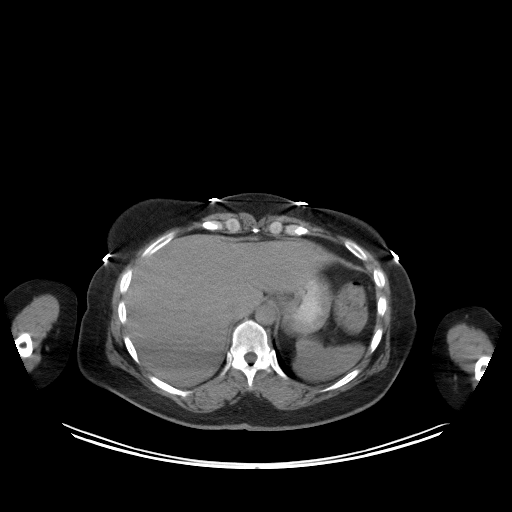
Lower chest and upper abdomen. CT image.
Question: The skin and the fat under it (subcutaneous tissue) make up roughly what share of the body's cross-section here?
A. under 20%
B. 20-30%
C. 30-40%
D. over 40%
Answer: C. 30-40%
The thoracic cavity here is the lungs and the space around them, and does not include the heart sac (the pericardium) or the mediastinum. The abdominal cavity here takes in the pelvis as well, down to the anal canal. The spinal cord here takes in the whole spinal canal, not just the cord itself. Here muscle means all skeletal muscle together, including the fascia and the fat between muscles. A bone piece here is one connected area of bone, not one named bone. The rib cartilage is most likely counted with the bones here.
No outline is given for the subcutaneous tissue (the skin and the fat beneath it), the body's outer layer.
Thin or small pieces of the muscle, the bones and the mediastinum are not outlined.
The mediastinum appears in 2 outlined pieces: piece 1: (262, 302) (269, 302) (270, 304) (272, 304) (275, 307) (275, 309) (277, 312) (277, 317) (275, 320) (275, 325) (272, 332) (273, 335) (273, 345) (272, 346) (269, 345) (269, 336) (268, 333) (262, 325) (253, 319) (250, 318) (244, 319) (257, 306) (261, 304); piece 2: (310, 235) (318, 236) (325, 240) (332, 242) (334, 244) (337, 244) (340, 246) (343, 246) (355, 257) (361, 261) (365, 262) (368, 265) (368, 267) (367, 268) (364, 268) (360, 265) (354, 264) (348, 260) (339, 256) (322, 244) (318, 243) (315, 240) (311, 240) (309, 238). The right arm is outlined by (38, 277) (50, 277) (65, 282) (73, 289) (77, 297) (76, 325) (68, 359) (61, 373) (48, 385) (42, 388) (37, 387) (23, 364) (22, 358) (15, 343) (15, 339) (12, 337) (12, 331) (10, 328) (10, 323) (4, 302) (4, 296) (6, 293) (16, 285) (23, 281). The spinal cord is outlined by (249, 352) (252, 352) (253, 353) (254, 353) (256, 355) (256, 358) (255, 359) (255, 360) (252, 363) (249, 363) (244, 358) (244, 356) (245, 355) (245, 354) (246, 354) (247, 353) (248, 353). The abdominal cavity is outlined by (196, 230) (307, 235) (339, 257) (367, 269) (376, 288) (377, 316) (367, 351) (359, 363) (329, 384) (312, 385) (298, 380) (274, 344) (276, 307) (262, 301) (233, 328) (224, 363) (213, 377) (182, 389) (151, 374) (127, 333) (125, 294) (133, 272) (144, 258) (174, 238). The left arm is outlined by (466, 305) (478, 305) (485, 307) (500, 321) (501, 326) (495, 342) (495, 347) (493, 349) (492, 355) (490, 356) (483, 375) (478, 381) (478, 384) (475, 389) (469, 394) (459, 409) (455, 410) (442, 397) (434, 381) (431, 368) (431, 347) (437, 325) (442, 317) (449, 311). The muscle appears in 3 outlined pieces: piece 1: (216, 212) (247, 212) (257, 220) (268, 214) (287, 215) (353, 240) (346, 238) (340, 245) (318, 235) (308, 235) (310, 230) (306, 226) (277, 219) (267, 225) (269, 233) (260, 232) (254, 225) (251, 231) (239, 232) (242, 226) (236, 217) (207, 219) (200, 224) (203, 229) (176, 237) (174, 229) (159, 236) (142, 251) (143, 259) (135, 269) (129, 267) (122, 273) (118, 289) (125, 295) (116, 309) (120, 323) (125, 324) (124, 346) (134, 362) (141, 362) (149, 372) (147, 377) (154, 385) (184, 398) (221, 369) (222, 377) (231, 368) (243, 373) (249, 391) (259, 370) (273, 371) (285, 380) (289, 377) (312, 386) (328, 385) (319, 390) (321, 393) (351, 381) (361, 371) (356, 367) (368, 350) (371, 354) (379, 345) (383, 329) (376, 327) (377, 317) (382, 317) (387, 309) (386, 297) (377, 293) (377, 288) (385, 286) (384, 272) (378, 267) (372, 273) (368, 269) (364, 261) (369, 257) (358, 244) (373, 254) (389, 281) (391, 321) (387, 365) (335, 396) (298, 409) (278, 409) (265, 399) (247, 394) (233, 404) (197, 413) (150, 390) (111, 364) (105, 343) (112, 294) (123, 268) (153, 238); piece 2: (46, 293) (55, 296) (59, 302) (60, 311) (59, 327) (52, 346) (41, 363) (36, 365) (30, 372) (28, 372) (23, 364) (22, 359) (28, 358) (33, 352) (34, 347) (31, 334) (28, 331) (22, 331) (15, 338) (13, 338) (10, 323) (12, 319) (35, 296); piece 3: (460, 322) (465, 322) (468, 325) (471, 325) (481, 329) (486, 333) (490, 341) (495, 346) (493, 349) (492, 355) (482, 354) (474, 362) (473, 377) (478, 382) (478, 384) (475, 387) (475, 389) (472, 389) (467, 382) (454, 369) (446, 345) (446, 334) (448, 329) (453, 325). The bones appear in 15 outlined pieces: piece 1: (246, 319) (253, 320) (264, 328) (268, 336) (268, 345) (275, 350) (278, 364) (288, 376) (287, 379) (273, 370) (268, 372) (259, 369) (253, 377) (252, 387) (249, 390) (247, 378) (242, 371) (231, 367) (222, 376) (220, 375) (226, 353) (231, 345) (232, 332) (236, 325); inner edge: (249, 352) (252, 352) (253, 353) (254, 353) (256, 355) (256, 358) (255, 359) (255, 360) (252, 363) (249, 363) (244, 358) (244, 356) (245, 355) (245, 354) (246, 354) (247, 353) (248, 353); piece 2: (276, 220) (281, 222) (283, 224) (296, 224) (297, 225) (301, 225) (304, 227) (306, 227) (309, 230) (309, 233) (305, 235) (288, 235) (282, 232) (277, 235) (273, 235) (271, 233) (270, 233) (270, 232) (268, 230) (268, 225) (271, 222) (273, 221) (275, 221); piece 3: (228, 218) (236, 218) (240, 223) (241, 228) (238, 232) (236, 232) (235, 233) (231, 233) (230, 232) (228, 232) (228, 231) (225, 228) (221, 230) (209, 230) (208, 229) (204, 229) (201, 225) (201, 224) (204, 221) (206, 221) (207, 220) (219, 220) (220, 221) (224, 221); piece 4: (22, 332) (28, 332) (30, 334) (30, 336) (32, 340) (32, 346) (33, 347) (33, 349) (32, 350) (32, 352) (31, 354) (28, 357) (23, 357) (22, 358) (17, 349) (17, 347) (15, 343) (15, 339) (19, 335) (19, 334) (20, 334); piece 5: (172, 230) (174, 230) (176, 231) (176, 234) (175, 236) (169, 242) (168, 242) (165, 245) (164, 245) (150, 255) (146, 257) (142, 257) (141, 256) (141, 254) (143, 252) (143, 251) (151, 243) (152, 243) (155, 240) (156, 240) (162, 235); piece 6: (150, 374) (151, 375) (155, 376) (160, 380) (178, 389) (181, 389) (182, 390) (190, 390) (192, 391) (192, 392) (190, 394) (184, 397) (180, 396) (179, 395) (177, 395) (176, 394) (170, 393) (158, 387) (155, 384) (154, 384) (149, 379) (148, 377) (148, 376); piece 7: (355, 368) (358, 368) (360, 369) (360, 371) (355, 377) (354, 377) (351, 380) (350, 380) (345, 384) (337, 388) (335, 388) (331, 390) (328, 390) (324, 392) (321, 392) (320, 391) (321, 389) (337, 381) (340, 378) (341, 378) (347, 373) (348, 373) (350, 371) (351, 371); piece 8: (482, 355) (488, 355) (489, 356) (490, 356) (490, 358) (489, 359) (489, 361) (487, 364) (487, 366) (485, 368) (485, 371) (484, 372) (483, 375) (482, 375) (481, 376) (480, 379) (478, 381) (474, 377) (474, 366) (475, 365) (475, 362) (478, 359) (478, 358); piece 9: (346, 239) (348, 239) (349, 240) (351, 240) (352, 241) (353, 241) (355, 243) (356, 243) (366, 253) (366, 254) (367, 255) (367, 256) (368, 257) (368, 258) (366, 260) (361, 260) (359, 258) (358, 258) (356, 256) (355, 256) (350, 251) (349, 251) (344, 246) (344, 241); piece 10: (129, 268) (132, 269) (132, 273) (131, 274) (131, 279) (129, 282) (129, 285) (127, 288) (127, 290) (125, 292) (125, 293) (122, 294) (120, 292) (120, 290) (119, 289) (119, 286) (120, 285) (120, 281) (121, 280) (121, 277) (122, 276) (123, 273) (127, 269) (128, 269); piece 11: (378, 327) (380, 327) (382, 329) (382, 336) (381, 337) (381, 339) (378, 345) (376, 347) (374, 351) (371, 353) (369, 352) (369, 350) (368, 348) (369, 347) (369, 345) (370, 344) (370, 341) (372, 338) (372, 336) (376, 328); piece 12: (125, 335) (127, 335) (129, 337) (131, 342) (133, 344) (135, 348) (135, 350) (136, 351) (137, 356) (140, 362) (139, 363) (137, 363) (135, 362) (135, 361) (129, 354) (125, 346) (125, 344) (124, 343) (124, 336); piece 13: (375, 268) (378, 268) (379, 269) (380, 269) (383, 272) (383, 274) (384, 275) (384, 278) (385, 279) (385, 283) (384, 284) (384, 286) (381, 288) (379, 288) (378, 287) (376, 287) (376, 285) (375, 284) (375, 283) (374, 282) (374, 280) (373, 279) (373, 270); piece 14: (381, 295) (382, 295) (383, 296) (384, 296) (385, 297) (385, 298) (386, 299) (386, 309) (385, 310) (385, 312) (384, 313) (384, 314) (382, 316) (380, 316) (379, 315) (377, 315) (377, 299) (378, 298) (378, 297) (379, 296) (380, 296); piece 15: (121, 300) (123, 300) (124, 301) (124, 304) (125, 305) (125, 312) (126, 313) (126, 321) (124, 324) (123, 324) (122, 323) (121, 323) (121, 322) (119, 319) (119, 317) (118, 316) (118, 312) (117, 311) (117, 309) (118, 308) (118, 304) (119, 303) (119, 302). The thoracic cavity is outlined by (274, 345) (274, 346) (278, 351) (281, 358) (283, 360) (283, 361) (285, 363) (287, 367) (289, 368) (289, 369) (291, 371) (291, 372) (293, 374) (293, 375) (296, 379) (294, 379) (290, 377) (282, 369) (278, 361) (278, 358) (277, 357) (276, 350) (273, 347). The torso is outlined by (240, 192) (267, 192) (296, 204) (355, 215) (382, 234) (406, 270) (416, 299) (417, 331) (399, 374) (372, 406) (335, 421) (297, 429) (200, 429) (153, 415) (92, 384) (80, 373) (76, 349) (86, 292) (108, 254) (106, 234) (116, 216) (132, 203) (152, 196) (210, 202).